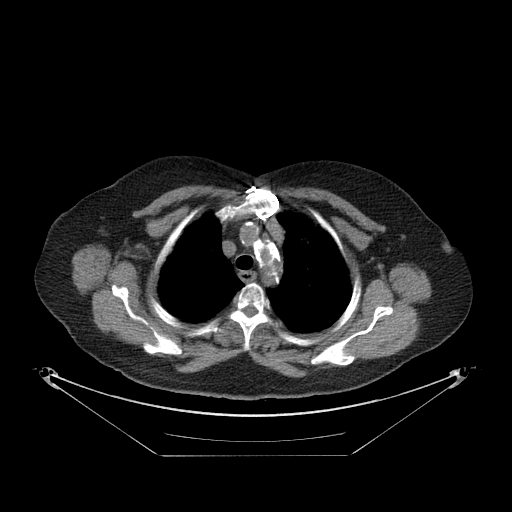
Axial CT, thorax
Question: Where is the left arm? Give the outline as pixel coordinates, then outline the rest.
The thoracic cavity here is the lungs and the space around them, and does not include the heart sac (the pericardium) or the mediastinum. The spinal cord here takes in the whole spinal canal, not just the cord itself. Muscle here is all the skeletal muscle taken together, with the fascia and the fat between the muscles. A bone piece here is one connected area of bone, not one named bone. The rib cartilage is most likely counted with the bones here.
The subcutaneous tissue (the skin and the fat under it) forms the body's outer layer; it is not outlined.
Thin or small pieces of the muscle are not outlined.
Answer: Outlines:
left arm: 445,235 447,236 448,239 453,244 459,246 463,250 467,258 467,260 468,261 470,269 459,269 458,268 455,268 449,265 443,259 441,255 441,252 440,251 440,245 441,244 441,241 443,237
right arm: 59,215 61,219 61,222 62,223 62,230 61,231 60,239 58,243 52,249 48,251 46,251 43,253 40,253 43,243 44,242 44,240 45,239 45,237 46,236 46,234 47,233 47,231 52,222
torso: 170,154 205,156 253,174 303,160 334,159 385,175 444,231 442,259 471,271 467,317 440,345 388,375 328,395 232,400 175,393 141,385 102,365 76,345 41,302 34,269 39,255 61,239 62,212 138,165
thoracic cavity 1: 283,209 293,210 307,216 327,232 334,241 349,271 352,285 349,301 338,318 330,326 320,331 296,333 289,330 274,315 270,300 265,292 267,288 275,288 279,285 284,272 283,247 286,230 276,217 276,214
thoracic cavity 2: 210,211 214,211 213,214 220,223 221,251 229,260 235,275 243,283 243,285 233,296 226,308 207,321 191,323 179,319 165,309 160,303 158,294 159,274 163,264 172,252 184,229 191,222 197,220 203,214
muscle: 256,183 326,189 384,225 386,230 378,233 361,255 363,269 377,278 399,262 412,262 426,272 432,292 417,339 393,354 353,362 356,356 345,350 346,345 394,311 391,305 380,304 365,328 329,344 310,359 312,365 342,366 289,377 256,363 245,352 199,371 178,372 167,358 153,355 178,356 182,348 152,326 148,326 155,342 144,341 144,351 102,333 92,319 88,298 73,284 73,254 90,243 136,244 145,226 132,212 169,190 191,184 245,189 243,200 207,211 195,220 204,207 197,205 167,236 154,263 159,301 149,298 160,319 175,328 182,328 184,322 207,322 185,333 192,338 222,332 221,318 214,317 227,308 223,316 242,330 243,352 251,348 251,335 259,324 276,329 283,324 296,334 320,332 332,325 332,333 339,330 358,306 362,279 357,272 352,284 337,232 317,209 307,207 316,223 299,211 284,209 274,192; inner edges: 113,284 115,284 119,287 124,286 127,288 128,290 128,304 131,310 136,315 138,315 146,320 148,323 148,325 146,325 139,320 133,319 129,316 125,309 125,307 122,300 120,298 115,296 112,293 111,286, then 278,329 281,329 284,331 288,332 290,334 295,335 301,338 314,338 315,337 318,337 320,338 320,340 317,343 315,343 312,345 309,345 308,346 297,345 296,344 288,342 284,339 281,338 277,333 277,330
spinal cord: 247,306 253,306 256,309 256,312 253,315 252,315 251,316 248,316 247,315 246,315 245,314 245,313 243,311 243,309 245,307 246,307
bones 1: 252,282 261,286 265,295 269,300 273,318 275,320 279,319 282,323 276,328 266,323 259,323 253,329 250,335 249,339 250,348 247,351 243,351 244,334 242,328 236,321 227,319 224,315 234,296 244,285 with a hole at 247,306 253,306 256,309 256,312 253,315 252,315 251,316 248,316 247,315 246,315 245,314 245,313 243,311 243,309 245,307 246,307
bones 2: 251,185 269,189 274,193 278,198 282,210 275,214 272,214 268,216 265,219 260,218 253,213 250,213 244,214 233,219 228,219 223,222 220,222 219,219 215,216 214,212 227,204 239,205 244,200 244,191
bones 3: 380,305 389,305 392,307 393,311 390,314 381,316 370,331 357,335 345,345 344,350 355,356 355,359 351,363 347,365 337,365 330,362 318,364 312,364 310,362 313,357 329,345 365,329 372,321 375,308
bones 4: 200,205 203,205 203,207 194,216 192,221 191,221 183,229 181,234 176,240 171,252 166,257 164,262 162,264 159,270 159,273 156,274 155,273 155,263 156,262 156,259 168,236 180,221 187,215 193,208
bones 5: 149,326 152,327 158,333 162,334 172,339 181,348 182,352 178,355 165,354 161,352 156,352 153,354 150,354 146,352 143,349 143,343 144,342 149,342 153,344 156,342 156,339 153,335 153,332
bones 6: 357,273 359,274 361,279 361,294 360,295 357,306 354,311 351,314 350,317 341,326 341,327 336,331 332,332 331,331 331,328 333,326 333,324 343,313 350,301 351,295 352,294 353,282 355,279 355,277
bones 7: 308,207 311,207 317,210 334,229 342,244 343,250 345,253 345,256 346,257 346,261 345,261 344,258 342,256 333,238 327,231 326,231 323,228 322,228 317,223 317,222 314,219 314,218 310,213 308,209
bones 8: 113,284 115,284 119,287 124,286 127,288 128,290 128,304 131,310 136,315 138,315 146,320 148,323 148,325 146,325 139,320 133,319 129,316 125,309 125,307 122,300 120,298 115,296 112,293 111,286
bones 9: 151,297 154,298 158,302 159,302 162,307 170,314 171,314 179,320 182,321 183,322 183,326 182,327 175,327 170,324 166,323 161,318 160,318 155,312 154,309 151,305 151,303 150,302 150,298
bones 10: 278,329 281,329 284,331 288,332 290,334 295,335 301,338 314,338 315,337 318,337 320,338 320,340 317,343 315,343 312,345 309,345 308,346 297,345 296,344 288,342 284,339 281,338 277,333 277,330
bones 11: 214,318 220,318 220,320 219,321 218,325 222,329 222,331 216,331 215,332 208,332 202,335 199,335 198,336 193,336 192,337 188,336 186,334 187,332 195,328 198,328 206,324 209,321 210,321
mediastinum: 250,214 253,214 263,220 265,220 272,215 275,215 276,219 285,230 285,238 282,247 283,249 283,272 282,275 277,286 267,287 264,290 261,285 254,281 244,284 236,275 230,260 224,255 222,251 221,223